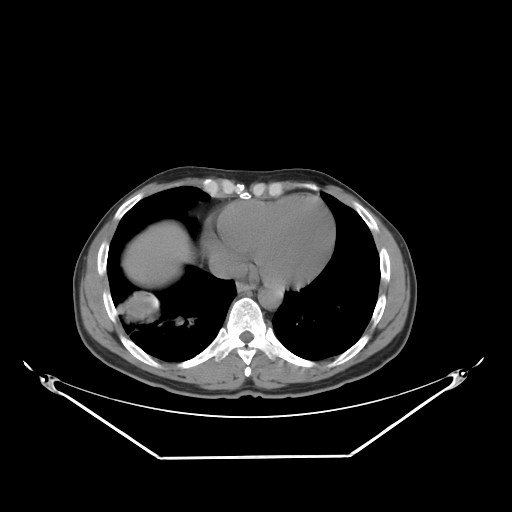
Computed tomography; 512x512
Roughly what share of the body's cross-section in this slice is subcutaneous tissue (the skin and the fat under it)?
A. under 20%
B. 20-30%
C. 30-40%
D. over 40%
A. under 20%
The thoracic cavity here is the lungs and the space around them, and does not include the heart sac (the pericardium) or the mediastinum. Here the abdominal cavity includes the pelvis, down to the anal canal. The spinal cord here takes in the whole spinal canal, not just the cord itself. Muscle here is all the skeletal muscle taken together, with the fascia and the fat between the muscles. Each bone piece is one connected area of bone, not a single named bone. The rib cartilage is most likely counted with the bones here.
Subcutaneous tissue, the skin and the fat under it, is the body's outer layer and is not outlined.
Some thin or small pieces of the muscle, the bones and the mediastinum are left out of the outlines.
The bones appear in 11 outlined pieces: piece 1: (242, 297) (249, 297) (258, 304) (264, 320) (288, 350) (316, 364) (304, 367) (280, 357) (272, 360) (257, 349) (249, 363) (250, 375) (246, 376) (245, 363) (232, 349) (218, 361) (211, 357) (188, 368) (177, 367) (177, 363) (192, 358) (215, 338) (226, 321) (231, 304); inner edge: (245, 331) (248, 331) (249, 332) (250, 332) (252, 334) (252, 335) (253, 336) (253, 337) (252, 338) (252, 339) (251, 340) (250, 340) (248, 342) (245, 342) (244, 341) (243, 341) (240, 338) (240, 335) (243, 332) (244, 332); piece 2: (206, 178) (218, 182) (228, 179) (235, 184) (242, 183) (245, 185) (247, 190) (260, 182) (266, 185) (280, 182) (283, 185) (284, 191) (275, 197) (267, 196) (265, 194) (260, 197) (253, 196) (248, 199) (243, 199) (236, 194) (214, 197) (204, 191) (201, 187) (201, 182); piece 3: (120, 334) (122, 334) (128, 337) (135, 344) (140, 347) (146, 353) (150, 355) (158, 362) (159, 362) (162, 365) (162, 368) (157, 368) (156, 367) (151, 366) (148, 364) (146, 364) (131, 354) (131, 353) (121, 342) (119, 338) (119, 335); piece 4: (363, 334) (368, 334) (369, 335) (369, 339) (365, 344) (365, 345) (353, 357) (341, 364) (339, 364) (338, 365) (336, 365) (329, 368) (327, 368) (326, 367) (326, 365) (329, 362) (332, 361) (337, 356) (344, 352) (352, 345) (353, 345) (361, 337) (361, 336); piece 5: (353, 201) (355, 201) (361, 204) (371, 214) (371, 215) (374, 218) (378, 226) (378, 228) (379, 229) (379, 231) (377, 233) (375, 233) (373, 235) (370, 229) (368, 227) (366, 223) (363, 220) (363, 219) (359, 215) (359, 214) (351, 206) (351, 204); piece 6: (382, 247) (384, 247) (386, 249) (387, 253) (389, 256) (389, 263) (390, 264) (390, 275) (389, 276) (389, 281) (387, 283) (384, 281) (381, 281) (380, 280) (380, 276) (381, 275) (381, 273) (380, 272) (380, 259) (379, 258) (379, 252) (378, 251) (379, 249) (380, 249); piece 7: (139, 192) (143, 192) (144, 193) (144, 196) (140, 200) (139, 200) (131, 208) (130, 208) (122, 216) (122, 217) (119, 220) (119, 221) (117, 221) (116, 220) (115, 220) (114, 219) (114, 214) (117, 210) (117, 209) (119, 207) (119, 206) (128, 198) (135, 195); piece 8: (105, 240) (109, 243) (109, 247) (108, 248) (108, 252) (107, 253) (107, 259) (106, 260) (106, 273) (103, 275) (99, 275) (99, 274) (98, 273) (98, 271) (97, 270) (97, 254) (98, 253) (98, 250) (99, 249) (99, 247) (100, 246) (101, 243); piece 9: (106, 289) (109, 289) (109, 291) (110, 292) (110, 295) (111, 296) (112, 301) (116, 309) (119, 312) (119, 314) (118, 315) (118, 318) (115, 323) (114, 323) (108, 316) (108, 314) (106, 311) (106, 309) (105, 308) (105, 306) (103, 302) (103, 291); piece 10: (382, 293) (384, 293) (386, 297) (386, 301) (385, 302) (384, 310) (381, 316) (381, 318) (379, 320) (375, 327) (374, 328) (372, 328) (370, 320) (371, 319) (371, 317) (372, 316) (372, 314) (373, 313) (373, 311) (374, 310) (374, 308) (375, 307) (378, 296); piece 11: (303, 182) (314, 182) (316, 184) (317, 184) (318, 185) (318, 186) (319, 187) (319, 190) (318, 191) (316, 191) (315, 190) (313, 190) (312, 189) (309, 189) (308, 188) (304, 188) (303, 187) (296, 187) (295, 186) (294, 186) (294, 184) (295, 184) (296, 183) (302, 183). The spinal cord is outlined by (245, 331) (248, 331) (249, 332) (250, 332) (252, 334) (252, 335) (253, 336) (253, 337) (252, 338) (252, 339) (251, 340) (250, 340) (248, 342) (245, 342) (244, 341) (243, 341) (240, 338) (240, 335) (243, 332) (244, 332). The torso is outlined by (183, 165) (250, 170) (311, 168) (331, 175) (361, 195) (399, 230) (412, 258) (417, 305) (402, 350) (362, 379) (314, 395) (281, 399) (250, 395) (204, 399) (178, 395) (135, 380) (94, 356) (81, 341) (74, 320) (72, 276) (78, 255) (95, 225) (120, 197) (152, 175). The thoracic cavity appears in 2 outlined pieces: piece 1: (180, 186) (209, 195) (186, 212) (196, 220) (196, 237) (176, 217) (148, 223) (119, 254) (124, 277) (136, 288) (153, 292) (176, 285) (194, 266) (232, 280) (235, 295) (214, 338) (192, 357) (174, 362) (153, 357) (124, 330) (109, 287) (107, 260) (123, 216) (143, 198); piece 2: (321, 191) (351, 207) (365, 223) (372, 234) (378, 252) (380, 275) (378, 295) (369, 322) (360, 337) (336, 356) (312, 360) (288, 349) (275, 334) (271, 320) (282, 304) (285, 293) (287, 291) (298, 292) (310, 284) (324, 269) (333, 255) (337, 234) (336, 220) (321, 197). The abdominal cavity is outlined by (163, 218) (176, 218) (181, 220) (185, 224) (193, 238) (192, 240) (197, 249) (196, 256) (197, 264) (196, 266) (189, 265) (186, 268) (185, 274) (181, 280) (172, 286) (153, 291) (140, 289) (132, 284) (125, 277) (120, 267) (120, 254) (126, 242) (132, 236) (148, 224). The mediastinum appears in 2 outlined pieces: piece 1: (234, 280) (249, 284) (276, 284) (277, 285) (285, 286) (289, 289) (300, 290) (298, 291) (287, 290) (284, 293) (283, 300) (281, 304) (270, 320) (270, 323) (268, 323) (265, 320) (263, 311) (259, 304) (251, 297) (249, 296) (242, 296) (232, 302) (236, 295) (236, 287); piece 2: (210, 196) (214, 198) (223, 197) (240, 198) (228, 199) (214, 205) (207, 212) (203, 219) (198, 239) (201, 249) (201, 259) (209, 272) (197, 266) (198, 249) (193, 239) (197, 237) (198, 224) (197, 220) (194, 217) (187, 215) (187, 212) (196, 202) (199, 200) (205, 200). The muscle appears in 3 outlined pieces: piece 1: (364, 206) (391, 233) (408, 268) (410, 298) (407, 316) (402, 329) (387, 345) (364, 360) (329, 377) (276, 389) (257, 387) (250, 379) (235, 389) (206, 389) (195, 384) (154, 374) (132, 364) (101, 345) (91, 337) (84, 327) (79, 296) (83, 264) (93, 240) (113, 215) (113, 219) (118, 222) (112, 237) (109, 242) (105, 239) (100, 243) (96, 254) (97, 273) (99, 276) (106, 274) (109, 288) (102, 291) (102, 302) (109, 319) (115, 324) (119, 318) (123, 330) (128, 335) (120, 333) (118, 335) (120, 342) (131, 355) (142, 363) (162, 369) (163, 365) (157, 359) (176, 363) (175, 366) (179, 369) (188, 369) (211, 358) (218, 362) (232, 350) (235, 350) (245, 365) (243, 374) (249, 377) (252, 372) (250, 363) (257, 350) (260, 350) (272, 361) (280, 358) (304, 368) (314, 367) (317, 364) (315, 361) (333, 357) (325, 367) (329, 369) (341, 365) (353, 358) (369, 341) (370, 335) (364, 333) (368, 324) (370, 323) (371, 328) (374, 329) (382, 318) (387, 297) (384, 292) (379, 294) (380, 281) (387, 284) (391, 275) (388, 251) (384, 246) (378, 250) (373, 236) (380, 231) (379, 226); piece 2: (288, 178) (315, 181) (337, 186) (355, 197) (361, 203) (353, 200) (351, 202) (350, 206) (330, 193) (322, 190) (320, 192) (318, 192) (320, 190) (320, 187) (314, 181) (296, 182) (293, 184) (294, 187) (303, 188) (293, 188) (286, 190) (284, 188) (283, 183) (280, 181) (274, 181) (268, 184) (260, 181) (255, 183) (249, 189) (247, 189) (246, 185) (248, 185) (253, 181) (258, 181) (265, 179) (266, 180) (270, 180) (271, 179) (287, 179); piece 3: (208, 176) (218, 176) (219, 177) (228, 178) (224, 178) (220, 181) (218, 181) (213, 178) (206, 177) (200, 182) (200, 185) (201, 186) (200, 187) (201, 188) (193, 185) (182, 185) (183, 184) (181, 182) (174, 182) (168, 186) (169, 188) (166, 188) (157, 191) (145, 197) (144, 197) (145, 196) (145, 193) (143, 191) (139, 191) (135, 194) (130, 196) (136, 191) (152, 182) (159, 182) (165, 180) (179, 179) (184, 177) (207, 177). The pericardium is outlined by (294, 192) (309, 192) (319, 196) (329, 208) (335, 220) (336, 234) (332, 255) (323, 269) (310, 283) (301, 289) (293, 289) (276, 283) (249, 283) (235, 279) (224, 279) (208, 269) (202, 259) (202, 249) (199, 239) (204, 219) (214, 206) (228, 200) (271, 199).